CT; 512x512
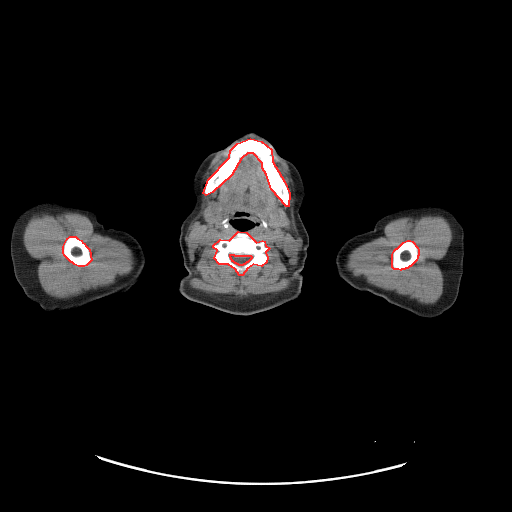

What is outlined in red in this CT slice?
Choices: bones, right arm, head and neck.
red: bones.
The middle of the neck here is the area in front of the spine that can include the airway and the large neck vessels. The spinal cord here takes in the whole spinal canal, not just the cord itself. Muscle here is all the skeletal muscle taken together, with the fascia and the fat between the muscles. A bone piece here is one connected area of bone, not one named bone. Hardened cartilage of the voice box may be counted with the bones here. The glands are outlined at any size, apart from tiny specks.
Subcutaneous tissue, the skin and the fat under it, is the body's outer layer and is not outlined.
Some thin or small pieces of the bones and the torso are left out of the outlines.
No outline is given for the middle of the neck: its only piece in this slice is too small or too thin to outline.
The bones appear in 4 outlined pieces: piece 1: 250,138 261,141 271,149 272,161 284,181 289,193 288,206 286,206 271,189 266,174 262,168 262,163 253,153 247,153 241,158 231,175 212,192 206,195 203,193 208,179 229,157 230,150 237,143; piece 2: 238,231 246,232 256,242 262,240 264,241 265,245 269,248 265,252 267,257 266,262 261,266 253,264 247,268 242,275 239,275 235,269 228,264 219,264 214,258 217,250 213,247 213,245 220,239 229,240; inner edge: 230,254 233,254 234,255 250,255 251,256 251,258 247,262 246,262 244,264 243,264 242,265 239,265 238,264 237,264 236,263 235,263 233,261 232,261 232,260 231,259 231,258 230,257; piece 3: 70,236 75,236 77,238 81,240 82,242 84,243 85,245 89,249 91,260 86,265 84,266 78,266 74,264 72,262 71,262 64,255 63,253 63,246 67,238; piece 4: 407,240 410,240 412,241 417,247 418,249 418,255 417,256 417,258 416,260 410,266 409,266 407,268 405,268 404,269 401,269 400,270 398,269 394,269 392,267 392,254 394,250 396,248 397,248 403,242. The spinal cord is outlined by 230,254 233,254 234,255 250,255 251,256 251,258 247,262 246,262 244,264 243,264 242,265 239,265 238,264 237,264 236,263 235,263 233,261 232,261 232,260 231,259 231,258 230,257. The submandibular glands appear in 2 outlined pieces: piece 1: 273,207 276,207 277,208 279,208 280,209 283,210 283,211 287,216 287,219 288,220 288,224 287,225 286,225 285,226 280,226 279,227 274,227 273,226 270,225 270,224 268,222 268,212 269,211 269,210; piece 2: 208,204 215,204 216,205 217,205 220,208 220,209 221,210 221,217 218,221 217,221 216,222 214,222 213,223 210,223 209,222 206,221 206,220 204,218 204,216 203,215 203,210 204,209 204,208. The head and neck is outlined by 247,132 255,132 267,138 277,152 298,169 305,192 299,214 309,236 309,245 301,272 302,282 270,297 258,300 233,300 201,284 185,268 179,245 179,233 183,220 195,204 192,180 202,160 211,152 224,148 with a hole at 238,212 244,212 247,214 248,216 247,217 250,220 253,221 255,223 255,225 252,227 250,227 248,229 246,229 244,231 242,231 234,227 234,226 230,223 230,220 235,218 236,217 235,216 236,215 235,214. The right arm is outlined by 43,201 55,201 91,210 105,228 119,229 131,234 139,242 145,255 145,266 140,278 123,293 102,297 83,306 63,312 57,310 45,311 28,298 17,282 13,272 10,257 10,237 13,224 18,215 29,206. The torso is outlined by 187,271 201,285 216,293 219,296 233,301 258,301 270,298 301,283 302,283 301,293 295,300 284,303 274,308 251,315 236,315 227,313 212,308 209,306 189,300 183,296 178,291 178,286 180,279 187,273. The muscle appears in 3 outlined pieces: piece 1: 248,137 258,138 269,144 273,148 275,153 286,163 293,179 295,189 295,202 293,213 299,235 302,239 299,257 294,269 294,279 289,287 278,292 264,294 249,294 245,296 240,296 233,293 208,293 195,289 191,287 189,284 189,280 193,276 193,271 192,264 190,262 188,255 185,235 190,222 201,208 202,176 211,159 219,153 224,151 236,141 with holes at 250,138 261,141 271,149 272,161 284,181 289,193 288,206 286,206 271,189 266,174 262,168 262,163 253,153 247,153 241,158 231,175 212,192 206,195 203,193 208,179 229,157 230,150 237,143 and at 238,212 244,212 255,223 244,231 256,242 264,241 269,248 265,252 266,262 261,266 253,264 242,275 239,275 228,264 219,264 214,258 217,250 213,247 220,239 229,240 240,230 230,223 and at 273,207 276,207 277,208 279,208 280,209 283,210 283,211 287,216 287,219 288,220 288,224 287,225 286,225 285,226 280,226 279,227 274,227 273,226 270,225 270,224 268,222 268,212 269,211 269,210 and at 208,204 215,204 216,205 217,205 220,208 220,209 221,210 221,217 218,221 217,221 216,222 214,222 213,223 210,223 209,222 206,221 206,220 204,218 204,216 203,215 203,210 204,209 204,208 and at 225,218 226,218 227,218 228,218 228,219 228,220 228,221 228,222 228,223 228,224 228,225 227,226 226,227 225,227 224,226 223,225 222,224 222,223 222,222 222,221 223,220 224,219; piece 2: 44,211 73,211 86,215 93,224 93,227 95,229 114,239 125,243 132,250 135,260 133,269 110,285 90,289 69,298 56,298 47,294 40,285 37,271 24,247 22,240 23,230 28,219 34,213; inner edge: 70,236 75,236 77,238 81,240 82,242 84,243 85,245 89,249 91,260 86,265 84,266 78,266 74,264 72,262 71,262 64,255 63,253 63,246 67,238; piece 3: 428,214 441,215 447,219 451,226 453,235 448,251 442,263 443,291 441,296 435,303 422,304 407,296 376,287 368,283 363,277 355,276 347,270 345,264 348,253 355,247 376,238 388,222 404,216 417,216; inner edge: 407,240 410,240 412,241 417,247 418,249 418,255 417,256 417,258 416,260 410,266 409,266 407,268 405,268 404,269 401,269 400,270 398,269 394,269 392,267 392,254 394,250 396,248 397,248 403,242. The left arm is outlined by 420,206 440,206 448,209 454,214 464,230 463,272 458,295 450,308 440,315 431,318 420,317 389,303 383,298 370,292 352,287 338,276 335,265 336,253 346,240 352,236 371,230 375,223 387,214 405,208.